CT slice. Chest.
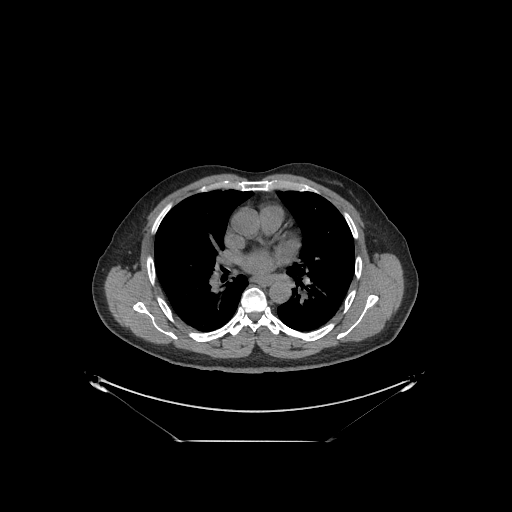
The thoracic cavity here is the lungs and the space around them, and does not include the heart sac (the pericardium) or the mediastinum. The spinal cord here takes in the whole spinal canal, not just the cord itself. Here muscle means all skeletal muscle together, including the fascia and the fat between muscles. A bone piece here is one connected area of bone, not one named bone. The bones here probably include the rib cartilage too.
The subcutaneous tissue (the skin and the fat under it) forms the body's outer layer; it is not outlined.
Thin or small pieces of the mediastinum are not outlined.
The torso is outlined by 290,162 315,163 353,179 371,194 406,239 417,270 419,285 411,311 391,342 357,358 317,368 233,373 172,364 127,343 104,325 95,309 91,292 96,262 119,223 144,193 169,175 192,166 220,164 256,172. The thoracic cavity appears in 2 outlined pieces: piece 1: 228,189 244,192 252,191 252,194 231,212 223,236 224,251 231,261 231,269 236,275 243,274 247,278 247,285 241,293 234,314 224,324 212,330 199,331 175,315 164,298 155,268 155,235 167,213 188,196; piece 2: 278,190 312,192 321,195 341,213 354,242 353,278 342,305 328,322 308,331 299,330 287,325 273,312 275,312 280,305 286,303 292,296 292,282 287,274 287,269 299,261 299,250 301,246 300,229 277,195. The mediastinum appears in 2 outlined pieces: piece 1: 298,250 298,261 295,261 286,269 286,274 291,282 291,296 286,302 280,304 275,311 269,305 267,296 260,287 256,285 247,287 248,278 243,273 236,274 232,269 233,262 242,270 251,274 268,274 289,263; piece 2: 273,190 277,190 276,191 276,195 283,205 280,204 273,199 265,199 258,203 250,204 249,205 241,205 238,207 237,209 233,212 233,213 232,213 238,205 247,200 253,194 253,191 263,191 264,192 268,192. The muscle is outlined by 223,173 247,179 225,178 203,184 195,193 174,205 169,201 151,225 153,255 146,256 146,273 152,286 157,281 159,284 163,297 157,294 155,299 170,322 175,323 176,316 194,330 189,330 187,335 199,343 221,338 227,333 235,336 246,326 254,333 264,326 274,335 282,332 311,342 322,338 334,328 336,323 330,321 342,306 343,314 348,311 356,295 356,289 349,289 350,285 354,277 357,280 361,277 363,268 362,257 355,254 354,240 359,237 357,226 347,211 339,211 317,188 305,182 283,178 261,179 271,174 287,173 305,177 334,191 357,210 364,225 365,244 372,261 375,253 384,252 392,253 399,259 404,278 403,296 398,309 384,328 363,340 343,342 292,359 269,355 257,347 244,357 214,358 170,343 147,341 121,326 109,310 104,291 104,282 110,268 119,264 132,272 140,270 143,229 149,213 172,192 203,177; inner edges: 370,294 374,294 375,295 377,295 378,297 378,299 377,301 372,306 369,307 366,310 361,320 346,335 338,339 336,337 337,335 339,333 345,331 357,320 357,319 361,314 366,304 366,300 367,299 367,297, then 138,301 141,301 144,304 148,311 153,316 154,321 159,327 166,331 170,331 172,332 175,335 176,335 177,339 174,339 169,335 159,331 153,325 152,321 148,315 145,313 138,312 134,310 133,305. The bones appear in 10 outlined pieces: piece 1: 252,286 263,291 272,312 293,329 308,332 329,322 335,325 325,335 311,341 282,331 274,334 264,325 254,332 246,325 235,335 227,332 208,341 196,341 188,335 189,331 208,332 224,325 235,314 243,291; inner edge: 251,312 259,312 261,314 260,315 260,317 256,321 253,321 249,317 249,313 250,313; piece 2: 225,179 233,181 235,180 252,181 272,179 290,180 305,183 317,189 320,192 320,194 312,191 299,191 291,189 286,190 273,189 268,191 263,190 244,191 233,188 213,189 203,192 196,192 203,185 207,185; piece 3: 370,294 374,294 375,295 377,295 378,297 378,299 377,301 372,306 369,307 366,310 361,320 346,335 338,339 336,337 337,335 339,333 345,331 357,320 357,319 361,314 366,304 366,300 367,299 367,297; piece 4: 138,301 141,301 144,304 148,311 153,316 154,321 159,327 166,331 170,331 172,332 175,335 176,335 177,339 174,339 169,335 159,331 153,325 152,321 148,315 145,313 138,312 134,310 133,305; piece 5: 169,202 172,202 173,203 173,206 166,213 166,214 161,220 161,221 157,228 157,230 154,235 151,233 151,228 152,227 152,225 153,224 153,223 154,222 156,217 159,214 159,213 161,211 161,210; piece 6: 148,255 152,255 153,256 153,261 154,262 154,268 155,269 155,274 156,275 156,281 154,285 152,285 151,284 150,282 150,280 149,279 149,277 148,276 148,274 147,273 147,267 146,266 146,259; piece 7: 157,295 159,295 165,300 165,301 167,303 167,304 169,306 169,307 172,311 172,313 173,314 173,317 174,318 174,320 175,322 172,322 170,321 169,319 165,315 165,314 161,309 156,299 156,296; piece 8: 343,211 345,211 346,212 347,212 352,218 352,219 356,226 356,228 357,229 357,234 358,235 358,237 357,238 357,239 354,239 353,238 353,236 351,233 350,228 349,227 345,218 342,214 342,212; piece 9: 352,289 355,289 355,295 354,296 354,298 353,299 350,306 348,308 347,311 345,313 343,313 342,312 342,311 343,310 343,302 344,301 344,300 345,299 345,298 346,297 349,290 351,290; piece 10: 356,255 359,255 361,257 361,260 362,261 362,268 361,269 361,274 360,275 360,277 358,279 357,279 354,276 354,270 355,269 355,257 356,256. The pericardium is outlined by 265,200 273,200 285,208 293,219 295,227 299,231 300,243 295,255 285,265 278,267 268,273 251,273 242,269 232,261 232,257 228,253 228,248 225,243 225,236 230,218 238,208 241,206 258,204. The spinal cord is outlined by 251,312 259,312 261,314 260,315 260,317 256,321 253,321 249,317 249,313 250,313.